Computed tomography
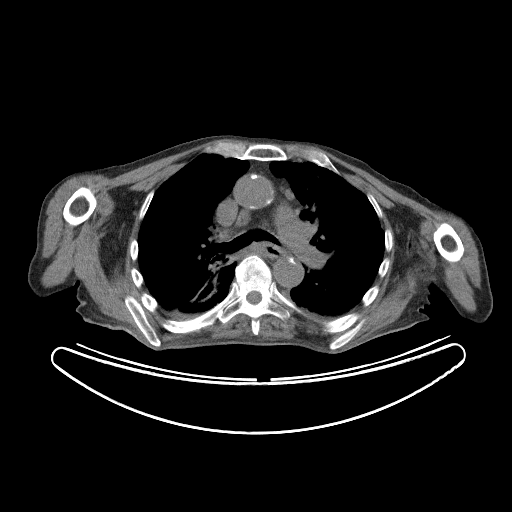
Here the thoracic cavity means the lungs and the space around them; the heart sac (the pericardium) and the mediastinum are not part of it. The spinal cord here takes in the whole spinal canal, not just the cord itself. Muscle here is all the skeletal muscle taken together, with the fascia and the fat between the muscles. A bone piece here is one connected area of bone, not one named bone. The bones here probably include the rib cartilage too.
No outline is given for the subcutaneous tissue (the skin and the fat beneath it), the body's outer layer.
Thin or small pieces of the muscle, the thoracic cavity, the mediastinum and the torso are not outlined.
The right arm is outlined by 93 168; 95 168; 98 173; 105 189; 105 218; 106 219; 105 225; 82 275; 74 285; 56 292; 47 297; 43 298; 39 297; 30 289; 28 285; 27 271; 30 260; 36 247; 36 227; 42 201; 48 191; 64 176; 79 170; 85 170. The thoracic cavity appears in 2 outlined pieces: piece 1: 201 153; 248 161; 248 168; 218 202; 212 215; 213 229; 219 237; 219 242; 225 244; 225 255; 232 262; 235 261; 236 265; 229 290; 219 302; 194 317; 176 320; 168 318; 164 309; 148 291; 139 270; 138 235; 142 220; 156 190; piece 2: 287 160; 292 163; 309 161; 341 176; 366 196; 383 230; 383 258; 372 285; 348 312; 328 320; 320 321; 304 313; 283 294; 288 294; 304 279; 307 271; 304 252; 309 242; 300 217; 304 206; 288 180; 276 176; 270 168; 272 161. The muscle appears in 3 outlined pieces: piece 1: 220 139; 253 143; 208 144; 155 191; 126 191; 114 196; 113 214; 99 240; 98 254; 106 271; 124 257; 133 212; 139 208; 137 239; 132 238; 128 247; 138 269; 132 267; 130 276; 137 288; 144 283; 148 292; 143 291; 139 300; 126 295; 123 301; 147 342; 127 323; 102 314; 78 276; 70 274; 51 287; 40 283; 45 268; 41 244; 46 209; 65 181; 82 174; 113 177 with a hole at 81 186; 85 186; 89 188; 91 190; 91 191; 95 196; 95 198; 96 199; 96 205; 92 213; 87 219; 86 219; 78 225; 74 226; 73 225; 69 224; 64 219; 63 217; 63 209; 67 200; 70 197; 70 196; 78 188; 79 188; piece 2: 277 144; 317 147; 424 206; 460 219; 478 252; 481 286; 476 310; 464 309; 434 272; 420 245; 421 218; 398 204; 384 210; 392 227; 396 245; 393 271; 402 275; 408 267; 415 269; 417 293; 396 320; 345 345; 366 322; 350 310; 360 302; 368 306; 378 295; 380 287; 373 282; 388 271; 391 262; 384 252; 393 246; 393 245; 393 233; 389 228; 380 225; 383 212; 375 197; 344 178; 322 150; 290 145; 286 151; inner edge: 443 222; 446 222; 448 223; 454 229; 454 230; 459 236; 462 242; 464 250; 463 251; 463 254; 462 256; 458 261; 451 262; 450 261; 446 260; 439 253; 435 245; 435 243; 433 239; 433 233; 434 231; 438 227; 438 226; piece 3: 159 306; 167 317; 162 319; 159 324; 162 328; 174 334; 186 334; 198 331; 213 325; 217 320; 225 324; 234 316; 245 314; 250 318; 252 334; 257 336; 260 331; 261 316; 268 314; 285 321; 293 313; 305 314; 322 322; 322 329; 327 333; 341 333; 329 342; 329 349; 314 345; 305 339; 262 339; 254 336; 184 339; 177 343; 160 346; 162 343; 161 340; 145 313; 145 309; 154 313. The left arm is outlined by 424 196; 431 201; 446 208; 449 208; 463 216; 470 223; 482 244; 489 276; 490 287; 493 296; 493 307; 489 317; 481 324; 474 323; 460 316; 448 299; 440 291; 436 289; 431 283; 429 273; 423 205; 422 204; 422 200. The spinal cord is outlined by 252 291; 255 291; 256 292; 258 292; 260 294; 260 296; 261 297; 261 298; 260 299; 260 300; 258 302; 257 302; 256 303; 251 303; 249 301; 248 301; 248 300; 247 299; 247 298; 246 297; 247 296; 247 295; 250 292; 251 292. The mediastinum is outlined by 248 160; 271 161; 271 172; 287 180; 303 206; 299 217; 308 238; 303 252; 306 271; 301 282; 288 293; 280 291; 269 266; 257 254; 248 254; 237 263; 232 261; 226 255; 226 244; 220 242; 214 229; 214 211; 236 180; 247 171. The bones appear in 13 outlined pieces: piece 1: 251 254; 265 262; 279 291; 304 314; 293 312; 285 320; 263 314; 259 317; 257 335; 253 334; 251 318; 245 313; 238 313; 225 323; 217 319; 211 325; 186 333; 162 327; 160 322; 164 319; 191 319; 219 303; 230 290; 237 264; inner edge: 252 291; 255 291; 256 292; 258 292; 260 294; 260 296; 261 297; 261 298; 260 299; 260 300; 258 302; 257 302; 256 303; 251 303; 249 301; 248 301; 248 300; 247 299; 247 298; 246 297; 247 296; 247 295; 250 292; 251 292; piece 2: 219 142; 242 143; 246 146; 254 143; 276 144; 286 152; 290 146; 294 146; 298 149; 317 149; 322 151; 329 158; 340 172; 340 175; 326 167; 297 156; 286 160; 257 160; 240 159; 232 156; 226 157; 217 153; 202 152; 206 146; piece 3: 143 292; 146 292; 152 296; 156 300; 158 304; 158 306; 154 312; 152 312; 145 308; 144 313; 149 323; 154 329; 160 340; 161 343; 159 346; 154 346; 148 342; 136 324; 124 301; 125 297; 129 295; 134 297; 139 301; 141 294; piece 4: 81 186; 85 186; 89 188; 91 190; 91 191; 95 196; 95 198; 96 199; 96 205; 92 213; 87 219; 86 219; 78 225; 74 226; 73 225; 69 224; 64 219; 63 217; 63 209; 67 200; 70 197; 70 196; 78 188; 79 188; piece 5: 349 312; 356 312; 358 313; 360 315; 361 319; 365 319; 365 322; 361 326; 356 334; 348 342; 341 347; 335 349; 330 349; 329 347; 330 342; 338 337; 342 333; 341 332; 333 332; 331 333; 325 331; 323 329; 323 322; 342 316; piece 6: 443 222; 446 222; 448 223; 454 229; 454 230; 459 236; 462 242; 464 250; 463 251; 463 254; 462 256; 458 261; 451 262; 450 261; 446 260; 439 253; 435 245; 435 243; 433 239; 433 233; 434 231; 438 227; 438 226; piece 7: 373 285; 378 285; 378 286; 379 287; 379 289; 378 290; 377 295; 371 303; 370 303; 366 306; 364 306; 361 301; 361 299; 362 298; 363 295; 366 292; 366 291; 370 287; 371 287; piece 8: 151 190; 154 190; 154 193; 153 194; 153 196; 150 201; 150 203; 147 208; 147 210; 146 211; 146 212; 145 213; 143 218; 141 220; 140 220; 140 219; 139 218; 139 212; 140 211; 140 208; 144 201; 144 199; 145 198; 146 195; piece 9: 134 267; 135 268; 136 268; 140 272; 140 273; 141 274; 141 275; 143 278; 143 283; 142 284; 142 285; 140 287; 137 287; 136 286; 136 285; 134 283; 134 282; 132 279; 132 277; 131 276; 131 269; piece 10: 386 229; 389 229; 391 231; 391 232; 392 233; 392 246; 391 247; 391 248; 390 249; 390 250; 389 251; 386 251; 385 250; 385 241; 384 240; 384 231; piece 11: 132 239; 136 239; 137 240; 137 245; 138 246; 138 253; 137 254; 137 259; 136 260; 133 260; 132 259; 132 258; 131 257; 131 255; 130 254; 130 251; 129 250; 129 247; 130 246; 130 242; 131 241; 131 240; piece 12: 368 193; 371 194; 374 197; 374 198; 376 200; 377 203; 379 205; 379 206; 381 209; 381 211; 382 212; 382 216; 380 218; 379 218; 378 217; 378 216; 377 215; 377 214; 376 213; 372 204; 369 201; 369 200; 366 195; piece 13: 385 257; 387 257; 389 259; 389 261; 390 262; 389 263; 389 266; 387 269; 387 271; 385 273; 385 274; 382 277; 380 277; 378 275; 378 269; 379 268; 379 266; 380 265; 380 264; 381 263; 381 262; 383 260; 383 259. The torso is outlined by 220 134; 324 144; 365 161; 388 178; 404 183; 422 195; 431 284; 430 303; 422 310; 429 319; 336 354; 295 345; 247 344; 155 351; 123 330; 84 321; 75 311; 78 304; 77 282; 107 222; 106 189; 96 168; 123 164; 182 142.